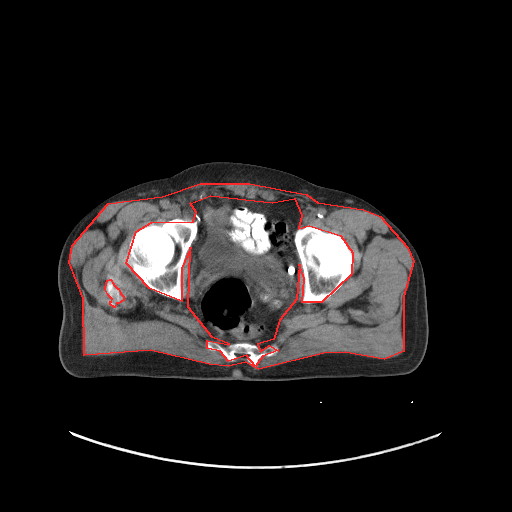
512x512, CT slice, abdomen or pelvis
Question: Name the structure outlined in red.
Answer: red: muscle.
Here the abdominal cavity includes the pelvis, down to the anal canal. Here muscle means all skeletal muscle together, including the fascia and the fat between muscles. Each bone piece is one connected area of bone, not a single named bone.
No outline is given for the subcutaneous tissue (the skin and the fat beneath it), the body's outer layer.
{"muscle":[{"outer":[[200,183],[249,183],[306,194],[317,202],[363,209],[380,216],[407,247],[413,261],[403,296],[403,351],[384,359],[344,352],[323,353],[258,369],[245,362],[228,366],[209,364],[150,350],[84,355],[83,298],[69,262],[72,245],[108,203],[162,196]],"holes":[[[210,195],[272,202],[294,198],[301,215],[298,228],[309,225],[340,235],[352,252],[351,274],[321,302],[302,302],[304,278],[299,264],[296,299],[279,320],[273,339],[257,344],[260,351],[269,345],[278,350],[262,356],[255,366],[246,355],[228,361],[220,351],[207,348],[207,340],[229,344],[212,337],[188,307],[190,247],[181,268],[181,301],[149,288],[126,263],[136,231],[151,222],[193,221],[196,212],[190,203]],[[109,279],[110,279],[113,283],[113,284],[117,288],[118,288],[120,293],[123,296],[123,300],[118,303],[116,303],[114,307],[110,304],[110,301],[111,301],[112,299],[108,295],[105,289],[106,282],[107,280]]]}],"abdominal_cavity":[[[210,195],[235,195],[272,202],[285,196],[294,198],[298,203],[301,215],[293,233],[299,260],[298,293],[279,320],[273,339],[267,343],[221,343],[210,335],[201,320],[188,307],[186,299],[189,296],[191,247],[197,236],[200,221],[199,215],[190,203]]],"bones":[[[196,214],[199,217],[197,233],[191,246],[185,254],[181,268],[180,285],[183,299],[179,301],[152,290],[135,274],[132,267],[126,263],[126,259],[129,255],[128,247],[134,233],[151,222],[155,224],[162,224],[165,221],[174,218],[193,221],[196,218]],[[307,225],[314,226],[324,232],[333,232],[342,236],[347,242],[348,247],[351,250],[353,256],[353,270],[351,274],[334,293],[323,301],[316,303],[303,303],[302,302],[304,293],[303,266],[300,263],[294,242],[295,231],[298,228],[302,228]],[[207,340],[218,343],[224,347],[233,343],[246,342],[257,345],[260,351],[269,345],[277,346],[278,350],[274,355],[262,356],[258,360],[257,365],[253,366],[247,361],[247,356],[243,354],[238,354],[234,361],[228,361],[220,351],[209,350],[206,346]],[[109,279],[110,279],[113,283],[113,284],[117,288],[118,288],[120,293],[123,296],[123,300],[118,303],[116,303],[114,307],[110,304],[110,301],[111,301],[112,299],[108,295],[105,289],[106,282],[107,280]]],"torso":[[[210,161],[250,163],[289,172],[314,184],[358,196],[389,218],[413,245],[424,272],[429,333],[419,366],[410,373],[396,376],[287,381],[139,376],[79,378],[69,374],[58,355],[63,311],[57,286],[59,255],[69,232],[108,197],[136,184],[169,177]]]}